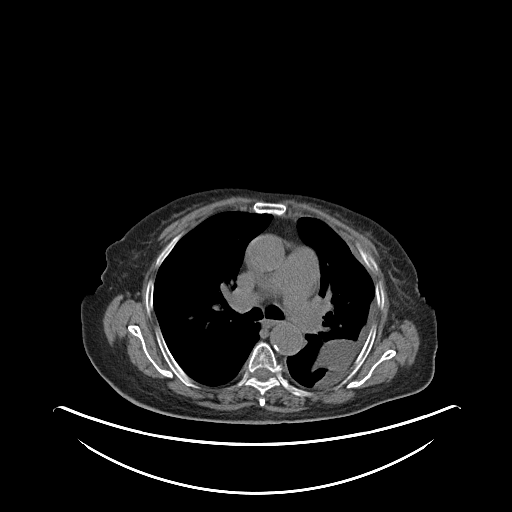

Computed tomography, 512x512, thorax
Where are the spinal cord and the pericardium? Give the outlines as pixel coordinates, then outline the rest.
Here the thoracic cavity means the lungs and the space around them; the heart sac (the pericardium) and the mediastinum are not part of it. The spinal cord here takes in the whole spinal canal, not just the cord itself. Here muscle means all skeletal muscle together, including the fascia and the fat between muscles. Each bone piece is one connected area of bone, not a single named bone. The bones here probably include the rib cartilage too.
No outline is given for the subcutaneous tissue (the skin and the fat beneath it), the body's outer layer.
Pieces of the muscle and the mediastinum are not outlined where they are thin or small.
The spinal cord is outlined by (259, 368) (265, 368) (266, 369) (267, 369) (271, 373) (271, 375) (267, 379) (266, 379) (265, 380) (260, 380) (259, 379) (258, 379) (254, 375) (254, 372) (257, 369) (258, 369). The pericardium is outlined by (264, 234) (275, 235) (286, 240) (290, 243) (305, 246) (313, 251) (317, 261) (317, 290) (316, 293) (309, 300) (301, 300) (300, 301) (273, 301) (263, 297) (260, 297) (241, 287) (238, 280) (239, 279) (240, 271) (244, 264) (244, 252) (245, 249) (250, 241) (254, 237). The bones appear in 8 outlined pieces: piece 1: (259, 341) (266, 342) (273, 349) (277, 359) (282, 364) (283, 375) (292, 384) (312, 392) (313, 395) (309, 397) (297, 396) (281, 385) (277, 385) (265, 392) (265, 403) (260, 406) (258, 400) (260, 393) (253, 386) (242, 385) (228, 388) (241, 376) (244, 363) (253, 347); inner edge: (259, 368) (265, 368) (266, 369) (267, 369) (271, 373) (271, 375) (267, 379) (266, 379) (265, 380) (260, 380) (259, 379) (258, 379) (254, 375) (254, 372) (257, 369) (258, 369); piece 2: (128, 325) (137, 325) (139, 327) (148, 353) (157, 365) (162, 369) (168, 369) (169, 366) (156, 339) (155, 328) (158, 325) (170, 353) (184, 372) (199, 384) (200, 388) (194, 388) (184, 384) (176, 375) (170, 378) (160, 373) (146, 356) (142, 348) (140, 339) (128, 330); piece 3: (373, 324) (376, 325) (376, 334) (371, 349) (362, 364) (350, 379) (360, 380) (363, 378) (368, 373) (373, 364) (380, 358) (386, 350) (395, 350) (395, 355) (379, 363) (375, 367) (371, 375) (359, 386) (347, 388) (344, 384) (334, 389) (334, 387) (348, 374) (352, 368); piece 4: (257, 201) (267, 201) (268, 202) (281, 202) (282, 203) (283, 203) (286, 206) (286, 209) (287, 210) (286, 211) (286, 212) (282, 215) (276, 215) (275, 214) (271, 214) (270, 213) (257, 213) (256, 212) (254, 212) (253, 211) (249, 211) (249, 210) (247, 208) (250, 207); piece 5: (180, 233) (183, 233) (183, 235) (177, 241) (177, 242) (174, 245) (170, 252) (167, 255) (167, 256) (164, 259) (164, 260) (161, 263) (161, 264) (157, 269) (155, 267) (155, 264) (156, 263) (156, 259) (158, 255) (160, 253) (162, 249) (175, 236) (176, 236); piece 6: (150, 279) (152, 279) (154, 281) (154, 282) (153, 283) (153, 310) (151, 312) (151, 315) (150, 316) (149, 316) (147, 314) (147, 311) (146, 310) (146, 307) (145, 306) (145, 293) (146, 292) (146, 288) (147, 287) (147, 284) (148, 283) (148, 281); piece 7: (356, 243) (358, 243) (360, 245) (360, 246) (367, 253) (370, 254) (373, 257) (373, 258) (378, 267) (378, 268) (377, 269) (377, 271) (376, 272) (375, 272) (374, 271) (370, 271) (369, 270) (369, 269) (368, 268) (360, 251) (358, 249) (357, 249) (357, 248) (356, 247); piece 8: (378, 281) (380, 281) (381, 282) (381, 283) (382, 284) (382, 288) (383, 289) (383, 290) (384, 291) (384, 301) (383, 302) (383, 308) (382, 309) (380, 309) (376, 305) (376, 300) (375, 299) (375, 284). The mediastinum appears in 2 outlined pieces: piece 1: (314, 251) (317, 255) (319, 265) (318, 295) (309, 329) (304, 335) (305, 344) (297, 353) (286, 358) (285, 376) (283, 364) (274, 349) (266, 341) (259, 340) (260, 324) (248, 319) (236, 308) (236, 277) (243, 258) (237, 281) (244, 290) (273, 302) (309, 301) (318, 290) (318, 289) (318, 261); piece 2: (285, 214) (291, 214) (292, 215) (293, 214) (294, 215) (303, 216) (299, 217) (297, 220) (297, 230) (298, 231) (299, 237) (301, 240) (309, 247) (302, 244) (290, 242) (286, 239) (272, 233) (264, 233) (258, 235) (267, 227) (272, 219) (273, 215) (276, 216) (282, 216). The thoracic cavity appears in 2 outlined pieces: piece 1: (240, 207) (249, 212) (272, 215) (266, 227) (245, 247) (235, 277) (235, 308) (240, 314) (245, 314) (248, 320) (259, 324) (259, 339) (243, 363) (237, 379) (224, 385) (210, 386) (190, 377) (171, 353) (154, 312) (154, 283) (158, 269) (185, 234) (217, 212) (236, 210); piece 2: (304, 216) (318, 218) (328, 225) (336, 227) (359, 251) (374, 284) (375, 300) (367, 336) (347, 374) (336, 383) (327, 387) (305, 389) (295, 385) (286, 377) (287, 358) (297, 354) (306, 344) (305, 335) (310, 329) (320, 287) (318, 255) (302, 240) (298, 230) (298, 220). The muscle appears in 2 outlined pieces: piece 1: (231, 196) (248, 196) (263, 200) (257, 200) (248, 207) (224, 209) (209, 215) (186, 233) (180, 232) (175, 235) (155, 259) (154, 267) (157, 271) (154, 280) (150, 278) (147, 281) (144, 306) (149, 317) (153, 311) (155, 315) (157, 321) (154, 328) (155, 339) (168, 368) (162, 368) (153, 359) (147, 349) (140, 327) (137, 324) (127, 325) (127, 330) (139, 339) (147, 359) (164, 377) (171, 379) (176, 376) (184, 385) (194, 389) (200, 389) (200, 384) (217, 387) (237, 380) (228, 389) (251, 386) (257, 390) (259, 406) (250, 405) (235, 410) (217, 410) (187, 400) (147, 378) (109, 342) (103, 329) (102, 318) (106, 307) (116, 295) (122, 291) (139, 293) (141, 291) (145, 274) (160, 249) (157, 239) (165, 227) (194, 209); piece 2: (286, 199) (309, 203) (324, 210) (371, 241) (378, 252) (379, 266) (388, 294) (388, 319) (411, 320) (417, 328) (420, 341) (414, 361) (396, 378) (376, 386) (346, 403) (283, 413) (261, 407) (265, 405) (265, 394) (270, 389) (281, 386) (297, 397) (309, 398) (314, 393) (306, 389) (327, 388) (338, 382) (333, 387) (334, 390) (344, 385) (347, 389) (357, 388) (372, 375) (379, 364) (396, 355) (395, 349) (386, 349) (363, 377) (351, 379) (363, 364) (375, 341) (377, 325) (375, 323) (371, 325) (374, 307) (375, 305) (380, 310) (384, 308) (385, 291) (383, 284) (380, 280) (374, 283) (370, 272) (376, 273) (379, 267) (370, 253) (358, 242) (355, 243) (355, 246) (336, 226) (315, 216) (286, 213) (287, 206) (280, 201). The torso is outlined by (220, 187) (314, 196) (366, 215) (385, 227) (412, 261) (419, 291) (435, 311) (437, 350) (429, 384) (416, 393) (352, 415) (277, 424) (218, 423) (174, 417) (140, 407) (115, 391) (91, 363) (81, 335) (81, 300) (101, 283) (106, 248) (144, 216) (171, 200).